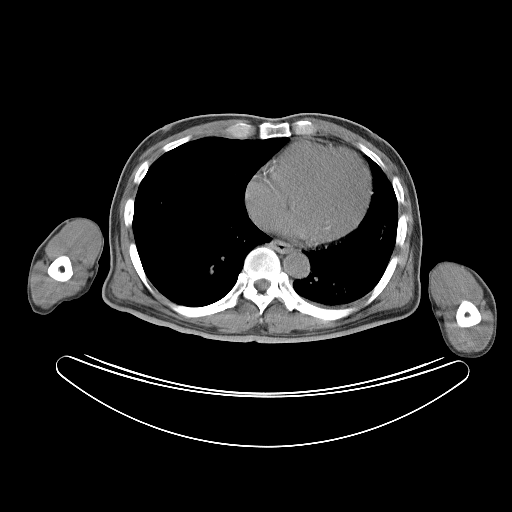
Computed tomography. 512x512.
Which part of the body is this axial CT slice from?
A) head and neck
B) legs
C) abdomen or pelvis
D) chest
Answer: D) chest
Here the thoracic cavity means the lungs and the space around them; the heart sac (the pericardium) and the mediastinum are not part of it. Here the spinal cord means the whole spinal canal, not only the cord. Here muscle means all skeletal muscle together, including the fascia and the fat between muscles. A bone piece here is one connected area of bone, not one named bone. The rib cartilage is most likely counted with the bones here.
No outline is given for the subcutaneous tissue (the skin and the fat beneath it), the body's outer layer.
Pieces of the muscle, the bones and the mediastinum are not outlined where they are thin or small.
Outlines (x, y in pixels):
muscle 1: 304 118; 321 119; 352 131; 397 166; 408 190; 413 217; 410 238; 413 296; 407 304; 333 327; 270 335; 257 325; 240 333; 210 333; 190 322; 113 295; 110 283; 116 268; 114 236; 119 225; 119 205; 141 154; 157 142; 190 127; 218 120; 244 119; 258 123; 256 126; 239 120; 223 130; 224 136; 192 139; 189 133; 171 140; 160 148; 162 153; 155 160; 152 162; 147 158; 136 169; 133 183; 138 186; 137 190; 135 196; 128 197; 124 203; 123 220; 127 228; 132 228; 134 241; 128 244; 128 254; 144 286; 154 295; 152 285; 169 308; 187 318; 209 316; 233 308; 240 297; 253 302; 259 316; 274 299; 278 299; 289 312; 296 310; 322 323; 349 316; 358 309; 349 306; 367 294; 364 305; 371 303; 386 287; 399 262; 399 256; 392 255; 394 247; 402 248; 406 238; 408 216; 398 213; 398 205; 405 203; 403 186; 396 175; 388 178; 384 172; 385 163; 365 144; 358 141; 355 147; 339 137; 319 134; 310 120; 300 119
muscle 2: 76 219; 82 219; 92 223; 98 231; 100 237; 100 245; 98 253; 93 263; 93 268; 89 274; 85 285; 79 291; 73 295; 58 300; 48 308; 42 308; 34 303; 30 287; 30 277; 33 267; 37 261; 36 257; 43 246; 68 222 with a hole at 60 255; 67 255; 69 257; 71 261; 71 264; 72 265; 72 271; 73 272; 72 273; 72 275; 70 277; 70 278; 66 281; 58 281; 57 280; 55 280; 53 278; 52 278; 47 273; 47 269; 49 265; 55 258; 56 258
muscle 3: 443 263; 456 264; 466 269; 473 276; 483 291; 483 296; 486 300; 486 303; 493 316; 492 323; 493 330; 488 343; 483 349; 479 351; 464 352; 457 350; 448 339; 444 326; 442 309; 436 304; 431 290; 433 272; 440 264 with a hole at 463 299; 466 299; 472 302; 478 309; 480 313; 480 315; 481 316; 481 319; 478 323; 472 326; 470 326; 469 327; 461 327; 460 326; 458 326; 457 325; 457 322; 456 321; 456 311; 457 310; 457 308; 461 300
left arm: 442 260; 453 260; 469 266; 480 275; 493 294; 497 309; 496 336; 491 348; 482 356; 475 358; 464 358; 463 357; 460 357; 450 351; 442 338; 438 324; 433 315; 431 309; 431 305; 428 299; 428 273; 429 270; 437 262
thoracic cavity 1: 209 136; 262 140; 287 137; 288 140; 255 172; 244 192; 243 202; 248 216; 270 237; 270 240; 257 243; 246 254; 234 284; 222 297; 205 305; 189 306; 168 299; 147 277; 133 233; 134 204; 138 187; 154 161; 163 153; 182 144
thoracic cavity 2: 366 156; 383 171; 390 181; 395 195; 398 217; 391 256; 378 281; 361 298; 346 307; 320 306; 301 296; 293 287; 293 282; 306 278; 311 272; 310 255; 313 251; 322 246; 327 246; 341 240; 355 230; 362 221; 374 193; 372 174
pericardium: 300 138; 313 138; 343 145; 350 148; 357 152; 365 160; 371 174; 372 194; 367 210; 357 227; 347 235; 335 241; 324 243; 315 247; 306 247; 294 244; 287 239; 264 231; 258 227; 251 219; 244 202; 247 185; 256 172; 284 146
bones 1: 257 246; 273 250; 292 287; 305 300; 325 308; 357 309; 345 317; 322 322; 296 309; 289 311; 278 298; 259 315; 258 306; 240 296; 235 306; 209 315; 187 317; 174 311; 164 297; 189 307; 205 306; 222 298; 235 284; 247 254, around a hole outlined by 260 279; 265 279; 266 280; 267 280; 269 282; 269 286; 263 292; 260 292; 255 287; 255 282; 257 280; 259 280
bones 2: 296 120; 310 121; 317 128; 315 134; 294 134; 288 137; 277 136; 262 139; 259 138; 255 133; 249 138; 230 138; 226 137; 224 132; 228 126; 239 121; 250 123; 256 127; 259 123; 262 122; 270 122; 275 124; 280 122; 291 123
bones 3: 463 299; 466 299; 472 302; 478 309; 480 313; 480 315; 481 316; 481 319; 478 323; 472 326; 470 326; 469 327; 461 327; 460 326; 458 326; 457 325; 457 322; 456 321; 456 311; 457 310; 457 308; 461 300
bones 4: 60 255; 67 255; 69 257; 71 261; 71 264; 72 265; 72 271; 73 272; 72 273; 72 275; 70 277; 70 278; 66 281; 58 281; 57 280; 55 280; 53 278; 52 278; 47 273; 47 269; 49 265; 55 258; 56 258
bones 5: 393 255; 396 255; 398 256; 399 259; 398 260; 398 262; 396 264; 395 269; 391 277; 389 279; 385 287; 380 292; 380 293; 371 302; 365 305; 365 302; 368 297; 368 293; 376 285; 381 278; 383 273; 385 271; 385 269; 391 257
bones 6: 131 242; 134 242; 135 244; 135 246; 136 247; 136 249; 137 250; 137 252; 141 262; 141 265; 146 275; 146 277; 150 282; 150 284; 154 291; 154 294; 151 293; 145 286; 132 263; 132 261; 130 258; 130 255; 129 254; 129 244
bones 7: 401 214; 405 214; 407 216; 407 220; 406 221; 407 223; 407 228; 406 229; 405 238; 404 239; 402 247; 400 247; 397 245; 395 245; 395 240; 396 239; 396 234; 397 233; 397 225; 398 224; 398 218; 399 217; 399 215
bones 8: 358 142; 360 142; 364 145; 365 145; 369 149; 373 151; 381 159; 381 160; 384 163; 385 165; 385 169; 384 170; 383 170; 371 158; 367 156; 363 152; 362 152; 359 149; 357 148; 356 146; 356 144
bones 9: 131 197; 132 198; 134 198; 134 203; 133 204; 133 217; 132 218; 132 223; 131 224; 131 226; 129 226; 128 227; 127 227; 125 224; 125 221; 124 220; 124 208; 125 207; 125 203; 126 202; 127 199; 128 198; 130 198
bones 10: 393 176; 396 176; 398 178; 402 186; 402 188; 403 189; 403 198; 404 199; 404 203; 403 204; 398 204; 397 202; 396 195; 395 194; 395 192; 394 191; 394 189; 393 188; 393 186; 391 182; 391 180
bones 11: 147 159; 149 160; 151 162; 151 163; 148 167; 148 169; 145 175; 143 177; 143 178; 141 180; 139 184; 137 185; 135 183; 134 183; 134 177; 135 176; 136 171; 139 167; 139 166; 141 164; 141 163; 143 161
bones 12: 189 134; 190 134; 192 137; 191 140; 189 140; 184 143; 182 143; 178 145; 176 147; 170 150; 168 150; 165 152; 163 152; 162 151; 161 148; 165 144; 171 141; 173 141; 176 139; 178 139; 181 137; 183 137; 186 135; 188 135
right arm: 74 216; 83 216; 94 220; 99 225; 102 232; 104 239; 103 251; 99 260; 97 274; 91 287; 85 294; 77 299; 62 302; 56 309; 48 314; 45 315; 38 314; 31 309; 26 295; 27 275; 32 256; 38 245; 60 222; 67 218
spinal cord: 260 279; 265 279; 266 280; 267 280; 269 282; 269 286; 263 292; 260 292; 255 287; 255 282; 257 280; 259 280
torso: 303 112; 339 116; 367 127; 389 142; 407 166; 417 194; 422 230; 421 295; 413 313; 329 339; 293 343; 234 342; 156 325; 114 309; 103 300; 101 289; 110 267; 108 225; 112 198; 128 157; 147 135; 170 122; 202 114; 280 118
mediastinum 1: 266 233; 287 240; 294 245; 306 248; 315 248; 324 244; 328 244; 322 245; 311 252; 309 255; 310 272; 306 277; 295 279; 292 282; 288 274; 282 269; 280 259; 273 249; 266 245; 255 246; 260 243; 267 243; 271 240; 271 237
mediastinum 2: 316 134; 325 136; 333 136; 336 138; 339 138; 363 153; 365 155; 365 159; 357 151; 346 145; 313 137; 300 137; 297 139; 294 139; 284 145; 289 140; 289 137; 291 136; 294 135; 296 136; 300 135; 308 136